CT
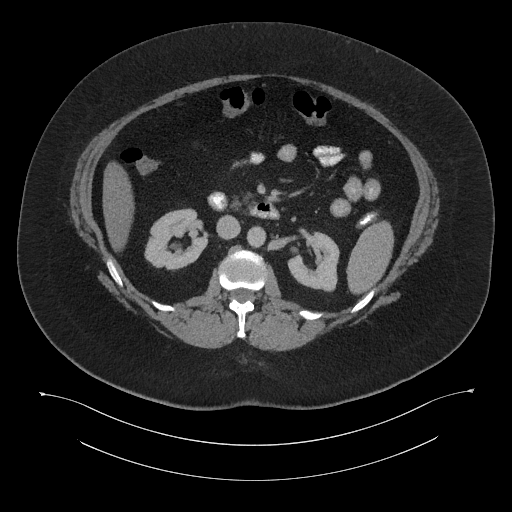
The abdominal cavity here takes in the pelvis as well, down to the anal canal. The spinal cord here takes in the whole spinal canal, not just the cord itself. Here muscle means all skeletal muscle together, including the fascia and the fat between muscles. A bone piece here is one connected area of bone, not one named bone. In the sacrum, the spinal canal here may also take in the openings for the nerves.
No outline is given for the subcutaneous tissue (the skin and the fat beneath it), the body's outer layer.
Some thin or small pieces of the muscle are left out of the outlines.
The muscle is outlined by (271, 72) (283, 73) (288, 75) (308, 78) (333, 86) (347, 93) (349, 93) (363, 101) (372, 104) (384, 114) (418, 148) (419, 151) (426, 159) (428, 165) (432, 170) (434, 176) (436, 178) (439, 189) (438, 194) (440, 198) (440, 206) (438, 213) (438, 218) (439, 219) (438, 224) (434, 233) (432, 243) (418, 260) (411, 265) (397, 280) (395, 285) (401, 292) (401, 296) (399, 299) (390, 304) (380, 307) (373, 313) (370, 314) (366, 320) (364, 320) (351, 327) (335, 329) (322, 335) (320, 337) (318, 337) (313, 341) (300, 348) (285, 352) (272, 353) (268, 351) (262, 351) (245, 343) (241, 340) (236, 340) (230, 344) (216, 349) (206, 349) (192, 346) (179, 339) (174, 337) (168, 337) (158, 332) (132, 312) (127, 310) (116, 300) (97, 279) (98, 269) (101, 265) (100, 260) (97, 255) (82, 240) (76, 232) (69, 213) (69, 193) (72, 178) (75, 170) (75, 166) (80, 154) (87, 144) (101, 130) (121, 116) (166, 92) (191, 83) (218, 76) (223, 76) (224, 75) (225, 76) (230, 74) (245, 74) (246, 73) (247, 74) (254, 74) (255, 73) (270, 73), around a hole outlined by (261, 77) (312, 86) (362, 110) (403, 146) (419, 193) (401, 249) (363, 308) (354, 313) (351, 306) (326, 310) (318, 318) (304, 319) (297, 313) (304, 308) (282, 297) (267, 263) (265, 283) (256, 293) (254, 309) (245, 316) (245, 337) (239, 338) (238, 318) (228, 307) (217, 267) (205, 291) (174, 302) (174, 311) (157, 309) (117, 263) (123, 287) (115, 282) (106, 266) (110, 253) (93, 213) (92, 185) (105, 150) (142, 113) (185, 94). The abdominal cavity is outlined by (261, 77) (319, 89) (362, 110) (400, 142) (419, 193) (397, 257) (376, 288) (337, 311) (304, 308) (284, 299) (273, 268) (246, 248) (219, 262) (203, 293) (172, 304) (149, 297) (130, 282) (109, 252) (94, 216) (92, 185) (100, 158) (120, 130) (142, 113) (185, 94). The bones appear in 5 outlined pieces: piece 1: (240, 249) (246, 249) (259, 254) (266, 263) (267, 269) (265, 283) (256, 293) (254, 309) (245, 316) (244, 338) (239, 338) (236, 335) (238, 330) (238, 318) (236, 313) (228, 307) (228, 299) (226, 296) (228, 292) (221, 286) (218, 277) (218, 266) (220, 262) (228, 254), around a hole outlined by (238, 288) (245, 288) (246, 289) (248, 289) (249, 290) (251, 290) (253, 292) (253, 294) (252, 295) (251, 298) (250, 299) (248, 299) (243, 302) (239, 302) (236, 299) (235, 299) (233, 297) (232, 297) (230, 294) (230, 292) (231, 291) (232, 291) (235, 289) (237, 289); piece 2: (109, 254) (110, 254) (114, 258) (114, 259) (116, 262) (116, 268) (117, 269) (117, 271) (121, 278) (121, 280) (123, 283) (123, 287) (120, 287) (115, 282) (115, 281) (111, 277) (111, 276) (108, 271) (108, 269) (106, 266) (106, 261) (108, 258) (108, 256) (109, 255); piece 3: (373, 289) (376, 289) (376, 290) (372, 298) (370, 300) (370, 301) (363, 308) (360, 309) (358, 311) (354, 313) (351, 313) (350, 312) (350, 310) (352, 308) (352, 307) (360, 299) (361, 299) (364, 296) (365, 296) (366, 294) (367, 294) (371, 290); piece 4: (302, 309) (308, 309) (309, 310) (313, 310) (314, 311) (322, 311) (324, 312) (324, 314) (322, 316) (318, 318) (316, 318) (315, 319) (312, 319) (311, 320) (307, 320) (301, 317) (297, 313) (298, 311); piece 5: (150, 299) (153, 299) (158, 302) (160, 302) (161, 303) (163, 303) (164, 304) (168, 304) (169, 305) (171, 305) (172, 306) (173, 306) (175, 308) (175, 310) (174, 311) (162, 311) (161, 310) (159, 310) (158, 309) (157, 309) (151, 303) (151, 302) (150, 301). The spinal cord is outlined by (238, 288) (245, 288) (246, 289) (248, 289) (249, 290) (251, 290) (253, 292) (253, 294) (252, 295) (251, 298) (250, 299) (248, 299) (243, 302) (239, 302) (236, 299) (235, 299) (233, 297) (232, 297) (230, 294) (230, 292) (231, 291) (232, 291) (235, 289) (237, 289). The torso is outlined by (229, 21) (301, 23) (367, 42) (428, 74) (470, 117) (485, 151) (494, 197) (491, 278) (475, 326) (439, 363) (391, 388) (329, 407) (192, 410) (133, 395) (91, 376) (60, 353) (37, 325) (19, 282) (16, 239) (27, 169) (51, 116) (88, 72) (119, 51) (170, 31).